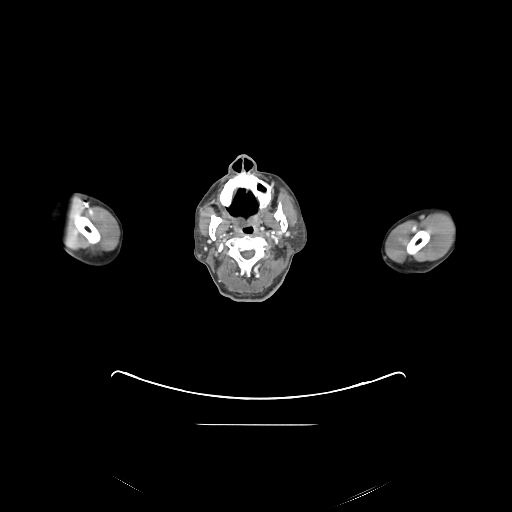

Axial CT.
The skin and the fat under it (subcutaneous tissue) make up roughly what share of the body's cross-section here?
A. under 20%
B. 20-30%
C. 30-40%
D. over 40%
B. 20-30%
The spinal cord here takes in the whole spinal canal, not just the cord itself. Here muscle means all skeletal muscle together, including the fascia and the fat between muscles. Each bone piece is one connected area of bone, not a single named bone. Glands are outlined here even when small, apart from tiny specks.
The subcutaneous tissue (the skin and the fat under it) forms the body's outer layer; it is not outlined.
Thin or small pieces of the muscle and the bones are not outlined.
The left arm is outlined by (431, 206) (445, 208) (451, 212) (456, 218) (457, 220) (457, 228) (458, 229) (458, 239) (454, 250) (443, 262) (432, 270) (426, 273) (402, 274) (394, 271) (386, 265) (383, 261) (380, 254) (380, 246) (384, 234) (387, 229) (394, 222) (403, 216) (420, 208) (430, 207). The parotid glands appear in 2 outlined pieces: piece 1: (298, 225) (299, 225) (299, 226) (300, 227) (300, 228) (301, 229) (301, 233) (302, 234) (302, 238) (301, 239) (301, 240) (297, 244) (294, 244) (293, 245) (290, 242) (290, 233) (291, 232) (291, 231) (292, 230) (292, 229) (294, 227) (295, 227) (296, 226) (297, 226); piece 2: (201, 236) (203, 238) (204, 238) (207, 241) (207, 242) (208, 243) (208, 248) (207, 249) (207, 252) (205, 254) (202, 254) (202, 253) (201, 252) (201, 249) (200, 248) (200, 246) (199, 245) (199, 238). The bones appear in 6 outlined pieces: piece 1: (241, 171) (251, 172) (269, 183) (272, 192) (271, 200) (268, 205) (262, 210) (257, 208) (257, 202) (254, 196) (250, 192) (246, 192) (242, 188) (237, 190) (233, 198) (233, 201) (229, 207) (225, 207) (221, 204) (218, 198) (218, 195) (223, 188) (225, 182) (229, 178); piece 2: (242, 235) (257, 235) (258, 236) (262, 236) (265, 238) (267, 242) (267, 246) (264, 250) (264, 256) (259, 259) (251, 268) (249, 276) (247, 276) (245, 274) (240, 274) (240, 268) (238, 263) (227, 253) (228, 247) (225, 245) (225, 241) (228, 239) (234, 236) (241, 236); inner edge: (246, 250) (253, 250) (254, 251) (254, 253) (253, 254) (253, 255) (251, 257) (250, 257) (249, 258) (245, 258) (241, 254) (241, 252) (242, 252) (243, 251) (245, 251); piece 3: (80, 215) (81, 216) (87, 216) (89, 218) (91, 222) (97, 229) (100, 235) (100, 239) (97, 243) (95, 243) (94, 244) (91, 244) (89, 243) (86, 237) (82, 233) (79, 232) (77, 230) (75, 226) (75, 219) (77, 217) (77, 216) (79, 216); piece 4: (420, 230) (427, 230) (429, 232) (429, 234) (430, 235) (429, 240) (426, 243) (426, 244) (425, 244) (420, 249) (419, 249) (414, 255) (411, 255) (407, 252) (407, 251) (406, 250) (406, 246) (407, 245) (408, 242) (413, 236) (413, 235) (416, 232) (417, 232); piece 5: (279, 199) (281, 202) (281, 205) (282, 206) (282, 210) (286, 217) (286, 219) (288, 223) (287, 230) (285, 232) (283, 232) (283, 231) (281, 229) (281, 227) (280, 226) (280, 222) (278, 220) (277, 220) (273, 215) (274, 212) (277, 209) (277, 205) (278, 204) (278, 200); piece 6: (212, 212) (213, 212) (216, 215) (219, 216) (222, 219) (222, 220) (218, 224) (218, 225) (216, 227) (216, 229) (215, 230) (215, 239) (214, 240) (212, 240) (210, 238) (210, 237) (209, 236) (209, 233) (208, 232) (208, 227) (209, 226) (209, 222) (210, 221) (210, 215). The head and neck is outlined by (242, 153) (246, 153) (254, 159) (260, 171) (275, 173) (285, 180) (299, 202) (307, 230) (306, 243) (304, 247) (293, 256) (291, 265) (283, 282) (271, 296) (259, 302) (234, 301) (221, 295) (207, 268) (196, 259) (193, 253) (195, 208) (210, 185) (224, 175) (230, 163); inner edges: (240, 189) (242, 189) (244, 190) (244, 191) (246, 193) (250, 193) (253, 196) (256, 202) (256, 210) (255, 212) (247, 216) (244, 216) (240, 214) (234, 214) (233, 213) (231, 213) (229, 210) (229, 208) (234, 201) (234, 198) (236, 196) (236, 194) (238, 190), then (245, 159) (247, 159) (248, 160) (249, 160) (251, 162) (251, 163) (252, 164) (251, 165) (251, 167) (250, 167) (248, 169) (245, 169) (245, 168) (244, 167) (244, 160), then (239, 159) (240, 159) (240, 165) (241, 166) (241, 168) (240, 169) (240, 170) (239, 171) (238, 171) (235, 168) (234, 168) (234, 167) (233, 166) (233, 164) (234, 163) (235, 163). The right arm is outlined by (75, 190) (90, 194) (109, 205) (114, 210) (122, 223) (123, 226) (123, 243) (121, 252) (118, 258) (113, 263) (106, 267) (101, 268) (92, 267) (86, 265) (70, 256) (63, 250) (60, 244) (55, 239) (53, 235) (51, 225) (51, 218) (53, 209) (57, 202) (63, 196). The muscle appears in 3 outlined pieces: piece 1: (254, 173) (271, 178) (287, 191) (293, 200) (299, 224) (294, 226) (289, 233) (289, 242) (293, 247) (292, 251) (286, 266) (273, 283) (262, 293) (255, 295) (240, 295) (228, 291) (224, 287) (203, 255) (208, 252) (209, 242) (204, 237) (200, 236) (199, 212) (220, 183) (231, 175) (233, 175) (224, 182) (217, 195) (220, 204) (225, 208) (228, 208) (231, 214) (244, 217) (255, 213) (257, 209) (262, 211) (271, 202) (273, 192) (270, 183), around holes outlined by (242, 235) (257, 235) (258, 236) (262, 236) (265, 238) (267, 242) (267, 246) (264, 250) (264, 256) (259, 259) (251, 268) (249, 276) (247, 276) (245, 274) (240, 274) (240, 268) (238, 263) (227, 253) (228, 247) (225, 245) (225, 241) (228, 239) (234, 236) (241, 236) and by (279, 199) (281, 202) (281, 205) (282, 206) (282, 210) (286, 217) (286, 219) (288, 223) (287, 230) (285, 232) (283, 232) (283, 231) (281, 229) (281, 227) (280, 226) (280, 222) (278, 220) (277, 220) (273, 215) (274, 212) (277, 209) (277, 205) (278, 204) (278, 200) and by (212, 212) (213, 212) (216, 215) (219, 216) (222, 219) (222, 220) (218, 224) (218, 225) (216, 227) (216, 229) (215, 230) (215, 239) (214, 240) (212, 240) (210, 238) (210, 237) (209, 236) (209, 233) (208, 232) (208, 227) (209, 226) (209, 222) (210, 221) (210, 215); piece 2: (432, 212) (442, 212) (445, 213) (449, 216) (453, 223) (454, 236) (452, 244) (449, 249) (441, 257) (431, 261) (422, 261) (421, 262) (412, 261) (405, 263) (398, 263) (390, 259) (385, 252) (385, 243) (391, 231) (395, 227) (407, 220) (419, 216) (421, 214) (427, 214), around a hole outlined by (420, 230) (427, 230) (429, 232) (429, 234) (430, 235) (429, 240) (426, 243) (426, 244) (425, 244) (420, 249) (419, 249) (414, 255) (411, 255) (407, 252) (407, 251) (406, 250) (406, 246) (407, 245) (408, 242) (413, 236) (413, 235) (416, 232) (417, 232); piece 3: (74, 195) (83, 196) (97, 205) (104, 208) (107, 210) (116, 220) (120, 232) (119, 234) (119, 241) (117, 246) (108, 254) (96, 257) (74, 249) (71, 249) (67, 247) (64, 243) (62, 237) (61, 228) (60, 227) (60, 215) (67, 205) (68, 200) with a hole at (80, 215) (81, 216) (87, 216) (89, 218) (91, 222) (97, 229) (100, 235) (100, 239) (97, 243) (95, 243) (94, 244) (91, 244) (89, 243) (86, 237) (82, 233) (79, 232) (77, 230) (75, 226) (75, 219) (77, 217) (77, 216) (79, 216). The spinal cord is outlined by (246, 250) (253, 250) (254, 251) (254, 253) (253, 254) (253, 255) (251, 257) (250, 257) (249, 258) (245, 258) (241, 254) (241, 252) (242, 252) (243, 251) (245, 251).